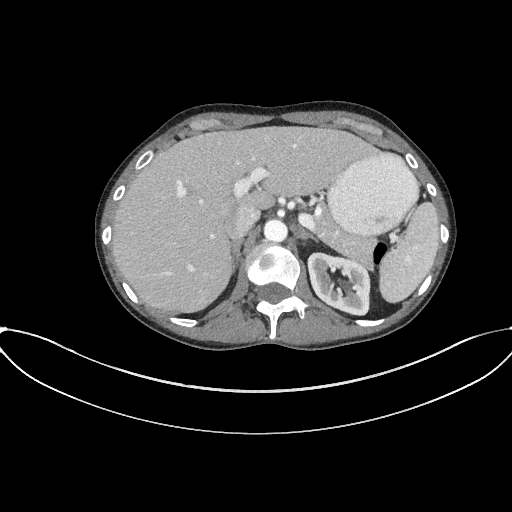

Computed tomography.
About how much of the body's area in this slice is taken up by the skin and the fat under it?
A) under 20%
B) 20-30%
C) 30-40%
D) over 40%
A) under 20%
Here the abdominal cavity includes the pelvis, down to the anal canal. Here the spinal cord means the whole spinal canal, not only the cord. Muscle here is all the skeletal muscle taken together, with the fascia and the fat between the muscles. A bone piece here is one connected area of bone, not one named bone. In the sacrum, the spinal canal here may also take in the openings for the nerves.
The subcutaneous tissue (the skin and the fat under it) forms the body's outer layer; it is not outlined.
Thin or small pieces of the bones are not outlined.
{"spinal_cord":[[[271,303],[276,303],[280,300],[287,297],[289,294],[288,290],[284,286],[278,283],[275,283],[274,282],[270,283],[269,284],[267,284],[266,285],[264,285],[263,286],[261,286],[260,287],[258,287],[258,296],[260,298],[264,299]]],"bones":[{"outer":[[270,339],[275,338],[276,324],[281,313],[295,310],[300,318],[303,318],[304,310],[309,304],[294,293],[299,275],[299,263],[296,257],[288,248],[281,245],[263,243],[256,246],[247,255],[245,264],[247,277],[256,286],[257,302],[255,307],[269,318]],"hole":[[271,303],[276,303],[280,300],[287,297],[289,294],[288,290],[284,286],[278,283],[275,283],[274,282],[270,283],[269,284],[267,284],[266,285],[264,285],[263,286],[261,286],[260,287],[258,287],[258,296],[260,298],[264,299]]},[[378,136],[381,136],[382,135],[382,133],[383,132],[382,130],[370,124],[368,124],[364,122],[359,122],[353,119],[346,118],[345,117],[338,118],[336,120],[336,122],[341,122],[345,124],[348,124],[360,130],[364,130],[369,133],[375,134]],[[198,130],[200,129],[205,129],[210,126],[213,126],[214,125],[218,125],[220,124],[220,121],[214,118],[209,118],[208,119],[201,119],[200,120],[196,120],[195,121],[192,121],[189,124],[189,127],[192,129],[197,129]],[[136,170],[138,170],[139,169],[140,169],[142,167],[143,167],[146,164],[147,164],[151,160],[151,159],[153,157],[153,156],[154,155],[154,152],[151,149],[149,149],[148,150],[145,151],[138,158],[138,159],[136,161],[136,162],[135,163],[135,169]],[[188,327],[191,327],[195,325],[198,322],[197,320],[195,319],[190,319],[189,318],[181,318],[180,317],[174,317],[173,316],[170,316],[169,317],[169,319],[172,322],[174,323],[176,323],[177,324],[179,324],[180,325],[182,325],[183,326],[187,326]],[[362,326],[372,326],[373,325],[376,325],[377,324],[379,324],[380,323],[381,323],[382,322],[383,322],[384,321],[384,318],[380,318],[379,319],[356,319],[354,321],[356,323],[357,323],[359,325],[361,325]],[[136,303],[138,303],[139,302],[137,296],[134,293],[134,292],[131,289],[131,288],[128,285],[128,284],[125,281],[123,281],[122,282],[122,285],[123,286],[123,288],[125,290],[125,291],[126,292],[127,295],[134,302],[135,302]],[[418,295],[420,295],[427,288],[427,287],[429,285],[429,283],[431,280],[431,275],[430,274],[428,274],[428,275],[427,276],[426,276],[426,277],[425,278],[425,279],[422,282],[422,283],[421,284],[421,285],[419,287],[419,288],[417,291],[417,294]],[[116,201],[117,200],[119,200],[121,198],[121,197],[123,195],[123,194],[124,193],[124,192],[125,191],[125,188],[126,187],[123,184],[121,184],[115,190],[115,191],[114,192],[114,193],[113,194],[113,199],[114,200],[115,200]],[[412,168],[417,168],[417,167],[418,166],[418,164],[417,163],[417,162],[416,161],[416,160],[415,159],[415,158],[410,153],[406,153],[404,155],[404,157],[405,158],[405,159],[406,160],[406,161],[408,163],[408,164]]],"abdominal_cavity":[[[196,319],[229,296],[241,261],[263,242],[288,247],[304,262],[313,295],[347,317],[379,318],[398,309],[429,273],[440,241],[433,203],[403,154],[349,131],[281,119],[203,132],[155,154],[130,182],[116,208],[112,253],[122,276],[144,303],[168,315]]],"torso":[[[207,350],[261,344],[320,350],[370,341],[408,324],[426,306],[454,251],[455,210],[449,189],[434,163],[392,119],[367,105],[336,99],[273,106],[203,103],[171,116],[121,161],[102,190],[94,216],[94,247],[103,276],[119,303],[138,321],[173,340]]],"muscle":[{"outer":[[100,237],[103,228],[107,224],[111,225],[113,214],[119,201],[116,202],[112,199],[114,190],[121,183],[127,186],[136,175],[138,171],[134,169],[134,163],[145,150],[151,148],[156,153],[177,140],[203,131],[237,128],[275,118],[349,130],[376,145],[392,148],[404,154],[406,152],[410,152],[419,164],[418,168],[413,170],[424,186],[425,187],[427,182],[431,182],[437,189],[437,195],[434,197],[431,196],[431,198],[435,206],[438,231],[440,223],[443,223],[450,231],[450,224],[447,208],[440,188],[422,159],[398,134],[370,117],[343,110],[295,111],[278,115],[260,115],[234,112],[204,112],[190,116],[170,127],[144,146],[133,157],[113,185],[107,198],[101,218]],"holes":[[[378,136],[381,136],[382,135],[382,133],[383,132],[382,130],[370,124],[368,124],[364,122],[359,122],[353,119],[346,118],[345,117],[338,118],[336,120],[336,122],[341,122],[345,124],[348,124],[360,130],[364,130],[369,133],[375,134]],[[198,130],[200,129],[205,129],[210,126],[213,126],[214,125],[218,125],[220,124],[220,121],[214,118],[209,118],[208,119],[201,119],[200,120],[196,120],[195,121],[192,121],[189,124],[189,127],[192,129],[197,129]]]},[[223,343],[269,340],[268,318],[254,307],[255,286],[246,277],[244,261],[230,296],[197,319],[199,322],[195,326],[188,328],[172,323],[169,316],[140,300],[138,304],[134,303],[126,295],[111,245],[104,245],[101,240],[111,277],[133,308],[179,335]],[[293,344],[322,343],[364,335],[379,331],[399,321],[414,309],[430,290],[443,263],[449,238],[446,244],[440,242],[434,265],[430,271],[432,280],[428,288],[420,296],[416,292],[398,310],[385,317],[383,323],[372,327],[359,326],[353,319],[339,314],[318,301],[309,289],[304,264],[298,259],[300,263],[300,275],[295,293],[310,305],[305,310],[303,319],[300,319],[295,311],[281,314],[277,324],[276,338],[273,340]]]}